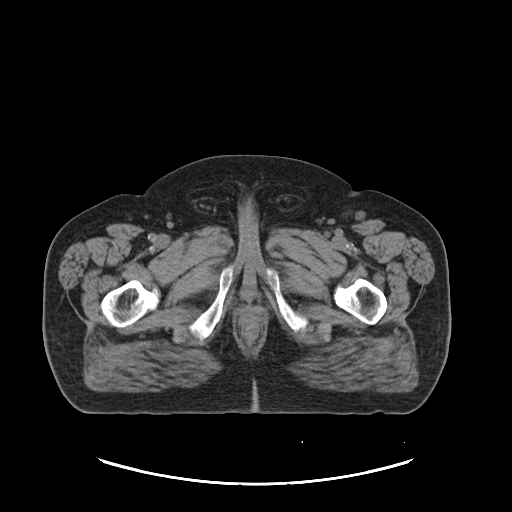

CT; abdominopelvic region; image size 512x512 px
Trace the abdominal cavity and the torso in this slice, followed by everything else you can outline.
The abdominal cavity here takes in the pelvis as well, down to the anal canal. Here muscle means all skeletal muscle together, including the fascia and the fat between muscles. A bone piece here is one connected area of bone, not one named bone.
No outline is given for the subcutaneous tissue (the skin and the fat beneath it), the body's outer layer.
The abdominal cavity is outlined by [[252,303],[259,306],[265,316],[265,321],[263,326],[262,335],[261,338],[259,340],[259,342],[253,349],[248,349],[248,348],[242,343],[240,338],[238,336],[238,332],[236,329],[236,314],[238,310],[239,310],[242,306],[246,304],[251,304]]. The torso is outlined by [[222,154],[309,161],[339,175],[356,190],[374,189],[400,200],[434,225],[447,255],[451,334],[439,379],[419,408],[406,414],[369,415],[127,415],[84,413],[66,400],[48,363],[42,335],[44,266],[53,237],[74,215],[113,195],[141,193],[186,163]]. The bones appear in 4 outlined pieces: piece 1: [[132,279],[136,279],[138,280],[144,287],[148,290],[152,290],[154,288],[156,288],[159,297],[159,302],[155,309],[148,311],[132,324],[128,325],[125,327],[115,327],[112,326],[102,313],[101,307],[100,306],[101,300],[105,294],[110,290],[114,289]]; piece 2: [[358,278],[363,278],[370,281],[374,285],[378,287],[384,293],[386,297],[386,300],[387,301],[387,307],[386,310],[381,318],[373,325],[369,325],[360,321],[352,314],[336,305],[334,302],[333,294],[336,287],[338,285],[343,287],[346,287],[350,285]]; piece 3: [[228,265],[232,265],[233,266],[233,279],[227,291],[227,293],[223,302],[221,316],[210,334],[204,339],[200,340],[195,335],[191,333],[188,328],[188,326],[192,323],[214,300],[219,289],[219,277],[220,276],[221,271],[223,268]]; piece 4: [[268,267],[271,267],[277,271],[279,277],[279,281],[280,282],[280,290],[285,300],[297,313],[304,316],[308,320],[308,323],[304,329],[300,329],[298,331],[294,331],[288,325],[283,318],[279,310],[275,295],[267,282],[265,270],[266,268]]. The muscle is outlined by [[371,217],[399,220],[420,233],[435,266],[429,286],[411,312],[419,352],[419,383],[413,390],[360,393],[304,385],[288,376],[284,368],[299,351],[278,320],[270,322],[261,353],[248,359],[239,350],[227,317],[212,342],[224,367],[208,384],[135,393],[97,392],[84,384],[83,327],[64,294],[58,270],[65,248],[87,228],[117,221],[170,234],[219,225],[226,227],[231,235],[257,239],[264,238],[271,228],[327,231]]; inner edges: [[132,279],[136,279],[138,280],[144,287],[148,290],[152,290],[154,288],[156,288],[159,297],[159,302],[155,309],[148,311],[132,324],[128,325],[125,327],[115,327],[112,326],[102,313],[101,307],[100,306],[101,300],[105,294],[110,290],[114,289]], then [[358,278],[363,278],[370,281],[374,285],[378,287],[384,293],[386,297],[386,300],[387,301],[387,307],[386,310],[381,318],[373,325],[369,325],[360,321],[352,314],[336,305],[334,302],[333,294],[336,287],[338,285],[343,287],[346,287],[350,285]], then [[228,265],[232,265],[233,266],[233,279],[227,291],[227,293],[223,302],[221,316],[210,334],[204,339],[200,340],[195,335],[191,333],[188,328],[188,326],[192,323],[214,300],[219,289],[219,277],[220,276],[221,271],[223,268]], then [[252,303],[259,306],[265,316],[265,321],[263,326],[262,335],[261,338],[259,340],[259,342],[253,349],[248,349],[248,348],[242,343],[240,338],[238,336],[238,332],[236,329],[236,314],[238,310],[239,310],[242,306],[246,304],[251,304]], then [[268,267],[271,267],[277,271],[279,277],[279,281],[280,282],[280,290],[285,300],[297,313],[304,316],[308,320],[308,323],[304,329],[300,329],[298,331],[294,331],[288,325],[283,318],[279,310],[275,295],[267,282],[265,270],[266,268]].